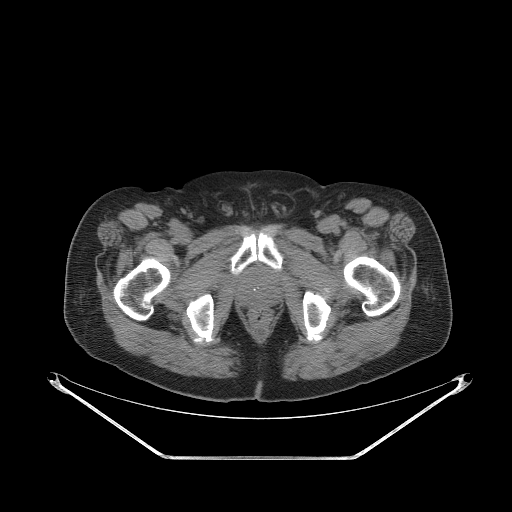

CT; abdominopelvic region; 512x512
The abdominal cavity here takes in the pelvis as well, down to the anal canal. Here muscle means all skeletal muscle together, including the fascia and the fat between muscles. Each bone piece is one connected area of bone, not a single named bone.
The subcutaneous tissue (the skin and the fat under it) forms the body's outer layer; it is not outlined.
The muscle is outlined by (356, 197) (375, 198) (401, 209) (415, 225) (410, 245) (417, 261) (417, 280) (409, 319) (400, 341) (382, 356) (329, 378) (283, 378) (282, 355) (297, 340) (285, 305) (261, 346) (232, 306) (221, 337) (241, 353) (236, 377) (179, 374) (131, 354) (114, 341) (101, 309) (94, 261) (94, 253) (102, 249) (97, 227) (109, 209) (135, 202) (161, 205) (164, 228) (184, 242) (213, 228) (253, 223) (283, 223) (335, 241) (346, 229) (347, 216) (342, 209); inner edges: (260, 230) (272, 236) (277, 249) (283, 256) (283, 260) (282, 268) (275, 271) (281, 286) (281, 307) (266, 333) (262, 337) (257, 337) (246, 323) (238, 307) (236, 301) (236, 286) (240, 274) (235, 275) (230, 271) (229, 258) (240, 246) (245, 234) (254, 232) (257, 235), then (145, 257) (154, 257) (162, 264) (166, 266) (170, 271) (170, 282) (162, 291) (153, 297) (152, 302) (154, 306) (154, 312) (152, 315) (146, 320) (139, 321) (133, 319) (131, 317) (128, 316) (118, 306) (113, 296) (113, 288) (117, 281) (120, 278) (136, 266) (141, 260), then (361, 255) (366, 255) (372, 257) (380, 262) (387, 269) (392, 271) (400, 282) (401, 287) (400, 288) (399, 297) (397, 301) (390, 309) (377, 316) (368, 316) (362, 311) (361, 303) (364, 298) (363, 295) (358, 290) (348, 286) (343, 277) (343, 267) (345, 264) (357, 256), then (306, 290) (311, 290) (313, 292) (317, 292) (325, 296) (326, 297) (326, 301) (331, 308) (329, 316) (326, 322) (325, 328) (321, 333) (322, 338) (317, 342) (314, 342) (313, 341) (310, 342) (308, 341) (305, 337) (306, 330) (303, 321) (302, 300) (303, 299) (304, 292), then (205, 293) (210, 293) (213, 299) (214, 306) (213, 307) (214, 314) (214, 321) (213, 322) (214, 326) (212, 334) (214, 337) (214, 340) (208, 343) (205, 341) (194, 342) (193, 338) (196, 336) (196, 334) (191, 327) (190, 321) (186, 314) (186, 308) (191, 300) (193, 300). The bones appear in 5 outlined pieces: piece 1: (145, 257) (154, 257) (162, 264) (166, 266) (170, 271) (170, 282) (162, 291) (153, 297) (152, 302) (154, 306) (154, 312) (152, 315) (146, 320) (139, 321) (133, 319) (131, 317) (128, 316) (118, 306) (113, 296) (113, 288) (117, 281) (120, 278) (136, 266) (141, 260); piece 2: (361, 255) (366, 255) (372, 257) (380, 262) (387, 269) (392, 271) (400, 282) (401, 287) (400, 288) (399, 297) (397, 301) (390, 309) (377, 316) (368, 316) (362, 311) (361, 303) (364, 298) (363, 295) (358, 290) (348, 286) (343, 277) (343, 267) (345, 264) (357, 256); piece 3: (260, 230) (264, 231) (272, 236) (277, 249) (283, 256) (282, 268) (280, 270) (275, 270) (267, 264) (257, 260) (247, 265) (237, 275) (233, 274) (230, 271) (230, 260) (229, 258) (240, 246) (242, 242) (242, 238) (245, 234) (249, 234) (251, 232) (254, 232) (257, 235); piece 4: (306, 290) (311, 290) (313, 292) (317, 292) (325, 296) (326, 297) (326, 301) (331, 308) (329, 316) (326, 322) (325, 328) (321, 333) (322, 338) (317, 342) (314, 342) (313, 341) (310, 342) (308, 341) (305, 337) (306, 330) (303, 321) (302, 300) (303, 299) (304, 292); piece 5: (205, 293) (210, 293) (213, 299) (214, 306) (213, 307) (214, 314) (214, 321) (213, 322) (214, 326) (212, 334) (214, 337) (214, 340) (208, 343) (205, 341) (194, 342) (193, 338) (196, 336) (196, 334) (191, 327) (190, 321) (186, 314) (186, 308) (191, 300) (193, 300). The torso is outlined by (254, 169) (296, 171) (321, 184) (382, 184) (414, 196) (428, 212) (445, 258) (453, 317) (444, 347) (366, 384) (318, 398) (276, 402) (216, 402) (181, 395) (87, 354) (65, 324) (63, 298) (69, 245) (89, 205) (122, 186) (137, 185) (150, 191) (178, 188) (209, 172). The abdominal cavity is outlined by (257, 261) (267, 265) (275, 271) (275, 273) (279, 279) (279, 283) (281, 286) (281, 307) (273, 319) (273, 321) (269, 329) (267, 330) (266, 333) (262, 337) (257, 337) (252, 332) (246, 323) (246, 321) (244, 319) (236, 301) (236, 286) (240, 274) (247, 266).